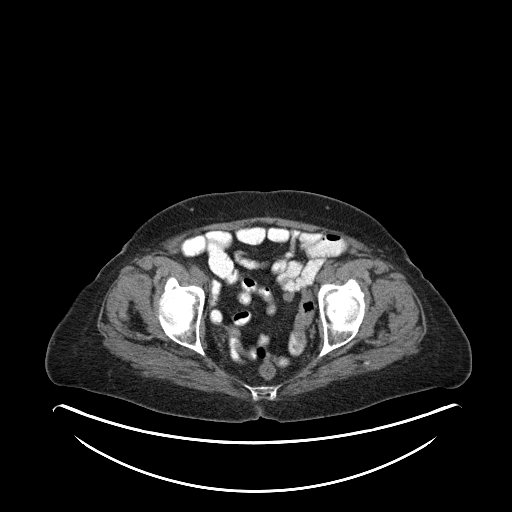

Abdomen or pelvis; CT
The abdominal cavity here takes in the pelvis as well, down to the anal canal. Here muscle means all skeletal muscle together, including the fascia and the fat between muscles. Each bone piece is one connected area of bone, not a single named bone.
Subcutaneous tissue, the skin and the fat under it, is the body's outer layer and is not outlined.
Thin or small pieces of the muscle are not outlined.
The bones appear in 3 outlined pieces: piece 1: [[350,278],[354,278],[357,281],[363,292],[365,309],[362,321],[355,336],[351,340],[345,344],[331,350],[318,359],[317,356],[323,346],[323,326],[319,316],[319,305],[317,297],[318,290],[321,284],[333,283],[337,285],[340,285],[343,284]]; piece 2: [[170,276],[175,277],[179,284],[182,286],[197,285],[203,288],[205,298],[203,304],[202,315],[199,323],[199,338],[201,346],[205,352],[205,356],[202,356],[196,351],[173,341],[165,334],[161,327],[158,318],[158,301],[160,296],[164,291],[165,283]]; piece 3: [[245,384],[248,384],[251,386],[260,386],[261,385],[274,386],[277,384],[281,384],[281,386],[278,388],[276,392],[276,395],[272,400],[269,400],[267,397],[268,396],[267,395],[261,395],[259,399],[255,401],[252,398],[251,392],[245,387],[244,385]]. The muscle is outlined by [[263,216],[340,230],[379,250],[405,276],[422,304],[426,333],[419,351],[383,368],[273,400],[280,383],[314,356],[319,360],[356,336],[366,304],[354,277],[340,284],[321,283],[352,255],[352,242],[343,233],[253,222],[184,239],[179,256],[202,286],[182,285],[170,275],[157,301],[157,318],[173,342],[202,357],[206,352],[243,380],[254,401],[141,376],[111,353],[102,342],[97,319],[105,294],[125,264],[184,230]]. The torso is outlined by [[280,189],[319,193],[354,205],[373,216],[400,242],[447,301],[470,342],[472,369],[463,384],[410,393],[339,415],[291,422],[259,417],[232,423],[165,414],[109,395],[57,385],[49,379],[44,361],[55,326],[78,292],[147,219],[195,195]]. The abdominal cavity is outlined by [[253,223],[274,223],[308,231],[335,232],[343,234],[351,242],[351,255],[335,264],[316,293],[319,317],[318,353],[292,375],[272,385],[251,385],[226,370],[207,353],[203,314],[206,298],[204,287],[189,271],[179,250],[184,240],[204,231],[230,230]].